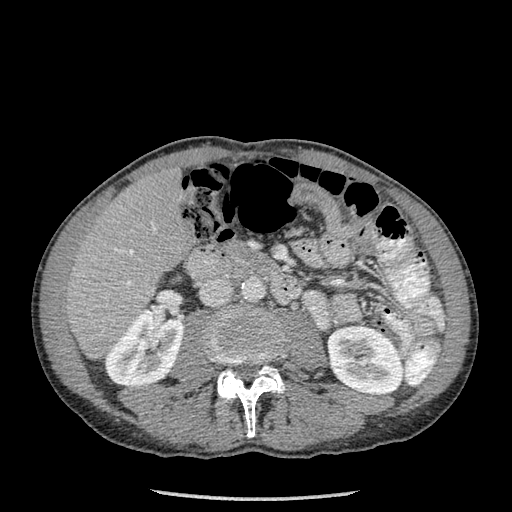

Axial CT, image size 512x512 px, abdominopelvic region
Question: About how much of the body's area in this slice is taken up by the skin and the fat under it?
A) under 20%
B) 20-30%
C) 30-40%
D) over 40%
Answer: A) under 20%
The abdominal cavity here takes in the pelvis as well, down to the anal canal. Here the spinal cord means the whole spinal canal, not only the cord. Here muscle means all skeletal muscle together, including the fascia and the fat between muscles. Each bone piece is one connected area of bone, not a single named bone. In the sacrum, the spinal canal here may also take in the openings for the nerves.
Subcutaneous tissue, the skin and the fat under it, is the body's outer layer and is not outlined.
{"abdominal_cavity":[[[237,155],[290,158],[365,181],[408,215],[437,271],[446,323],[441,354],[407,398],[319,380],[328,362],[310,324],[285,309],[250,305],[213,314],[197,309],[185,318],[171,370],[178,382],[126,387],[115,400],[95,385],[66,307],[90,229],[137,181]]],"spinal_cord":[[[239,364],[258,364],[259,365],[260,365],[260,368],[257,371],[257,376],[256,376],[252,380],[251,380],[250,381],[244,381],[239,377],[238,377],[237,376],[236,376],[236,374],[235,373],[235,372],[233,369],[233,366],[234,365],[238,365]]],"torso":[[[200,135],[241,141],[299,138],[335,146],[409,188],[442,218],[471,273],[479,333],[464,387],[426,430],[405,442],[311,458],[254,451],[211,459],[161,457],[110,443],[58,397],[37,357],[30,315],[33,281],[47,243],[74,206],[116,171],[159,146]]],"bones":[{"outer":[[235,306],[263,307],[280,320],[287,336],[286,356],[269,364],[278,369],[286,388],[280,394],[267,391],[258,397],[255,403],[256,433],[251,438],[246,436],[247,424],[241,400],[218,396],[216,383],[224,366],[209,359],[202,341],[204,329],[212,316]],"hole":[[239,364],[258,364],[259,365],[260,365],[260,368],[257,371],[257,376],[256,376],[252,380],[251,380],[250,381],[244,381],[239,377],[238,377],[237,376],[236,376],[236,374],[235,373],[235,372],[233,369],[233,366],[234,365],[238,365]]}],"muscle":[{"outer":[[206,146],[218,146],[228,150],[234,150],[235,151],[239,150],[243,151],[248,151],[249,150],[273,151],[276,149],[296,149],[300,148],[336,156],[369,171],[371,173],[380,177],[392,186],[404,192],[421,204],[435,218],[448,237],[459,259],[465,276],[467,289],[469,293],[469,307],[470,308],[470,331],[466,346],[464,360],[455,378],[444,391],[434,398],[396,416],[375,419],[365,424],[358,432],[347,438],[330,442],[322,442],[314,445],[310,448],[288,451],[287,450],[276,449],[269,446],[266,446],[263,444],[244,443],[230,449],[209,450],[199,447],[193,443],[182,445],[181,444],[167,442],[124,419],[97,408],[87,399],[83,398],[72,392],[60,381],[54,370],[51,367],[51,362],[48,359],[48,356],[43,344],[42,334],[40,330],[40,323],[39,322],[39,305],[38,303],[39,302],[40,284],[43,270],[45,267],[45,264],[50,251],[61,231],[70,219],[85,204],[96,195],[108,186],[147,161],[156,158],[161,155],[168,154],[175,151],[184,150],[191,147],[205,147]],"hole":[[237,155],[290,158],[365,181],[408,215],[437,271],[446,323],[441,354],[407,398],[398,402],[319,380],[328,363],[322,339],[285,309],[273,314],[286,332],[286,356],[269,364],[278,369],[286,388],[258,397],[254,437],[246,436],[241,400],[217,394],[224,366],[204,351],[203,332],[213,315],[205,309],[185,318],[171,370],[178,382],[126,387],[115,400],[95,385],[73,339],[66,307],[74,260],[90,229],[137,181]]}]}